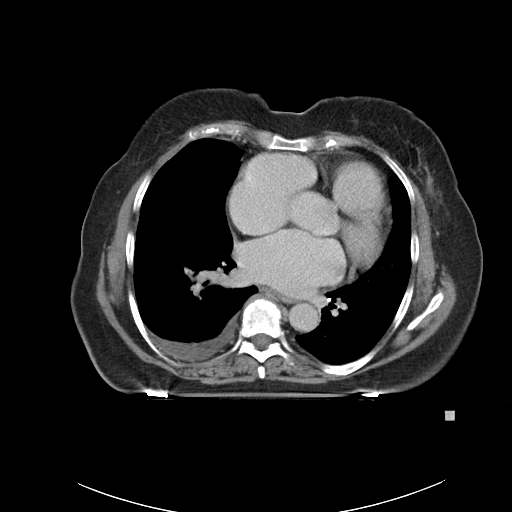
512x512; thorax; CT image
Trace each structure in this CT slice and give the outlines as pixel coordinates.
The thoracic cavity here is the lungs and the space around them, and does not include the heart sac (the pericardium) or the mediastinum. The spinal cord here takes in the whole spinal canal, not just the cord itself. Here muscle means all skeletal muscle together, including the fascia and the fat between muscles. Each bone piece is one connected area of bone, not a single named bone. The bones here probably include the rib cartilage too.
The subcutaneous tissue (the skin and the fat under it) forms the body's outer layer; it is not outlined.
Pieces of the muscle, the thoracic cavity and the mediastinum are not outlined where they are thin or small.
{"mediastinum":[[[233,246],[233,254],[253,283],[267,286],[292,298],[306,298],[324,294],[319,301],[320,321],[318,325],[311,331],[288,337],[281,325],[282,311],[275,302],[261,296],[246,301],[257,292],[258,288],[253,284],[234,285],[238,273],[237,264],[231,256]],[[342,146],[355,146],[363,148],[377,156],[391,170],[393,173],[387,180],[387,187],[388,188],[390,198],[390,204],[388,194],[388,189],[386,185],[386,176],[384,174],[384,172],[373,161],[368,159],[363,155],[356,153],[352,150],[342,149],[340,147]],[[226,137],[229,137],[230,138],[235,138],[242,142],[251,142],[254,144],[257,144],[263,148],[265,148],[267,149],[263,149],[262,148],[259,148],[256,150],[254,150],[246,154],[240,160],[243,154],[243,151],[233,142],[223,138],[225,138]],[[361,272],[363,272],[361,273],[355,279],[333,290],[330,290],[334,287],[336,287],[341,284],[343,284],[345,282],[347,282],[348,281],[350,281],[354,279],[358,275],[358,274]]],"torso":[[[200,87],[249,89],[272,109],[292,112],[333,95],[379,96],[402,104],[435,131],[474,217],[483,252],[475,315],[439,373],[404,391],[357,391],[319,399],[186,398],[151,389],[124,393],[102,378],[70,309],[84,216],[97,182],[147,116],[169,98]]],"thoracic_cavity":[[[210,137],[229,141],[242,151],[237,173],[226,194],[224,211],[233,242],[230,256],[236,264],[233,285],[253,285],[257,290],[244,302],[237,337],[226,352],[204,362],[179,363],[154,344],[141,317],[134,291],[135,234],[143,198],[158,170],[188,143]],[[393,174],[403,185],[410,203],[409,252],[411,265],[407,285],[390,325],[369,351],[345,363],[318,362],[292,347],[287,337],[294,338],[297,335],[314,330],[321,321],[320,301],[325,294],[355,280],[369,269],[380,256],[393,222],[388,187],[388,180]]],"bones":[{"outer":[[261,297],[272,301],[280,309],[280,325],[294,350],[290,354],[294,363],[292,365],[280,355],[268,357],[262,363],[265,370],[263,378],[258,375],[257,368],[260,363],[248,353],[239,354],[235,351],[217,358],[226,353],[235,343],[241,325],[244,304]],"hole":[[256,334],[265,334],[266,335],[269,336],[271,338],[271,342],[267,346],[267,347],[266,348],[265,348],[264,349],[258,349],[255,347],[255,346],[254,345],[254,344],[252,342],[251,339],[252,338],[252,337],[253,336],[254,336]]},[[257,130],[265,130],[271,134],[278,134],[288,139],[311,136],[314,137],[318,142],[321,142],[323,137],[325,136],[344,136],[357,142],[351,145],[342,145],[339,147],[322,147],[319,149],[313,148],[309,151],[268,149],[261,146],[256,141],[254,134]],[[219,123],[235,124],[243,127],[243,130],[240,136],[232,136],[231,135],[227,135],[226,134],[212,134],[209,137],[198,138],[191,141],[188,141],[186,138],[186,134],[190,130],[191,131],[198,130],[201,128],[206,128],[211,125],[214,125]],[[128,290],[131,290],[134,294],[134,297],[136,301],[136,304],[137,305],[137,308],[140,317],[153,344],[165,356],[173,360],[175,362],[181,364],[180,366],[175,366],[160,357],[149,346],[143,338],[135,324],[135,322],[131,313],[131,310],[128,301]],[[375,347],[379,347],[379,348],[374,356],[367,363],[350,373],[348,373],[344,375],[336,375],[335,374],[327,373],[323,371],[321,368],[320,363],[322,362],[323,363],[330,364],[331,365],[340,365],[341,364],[345,364],[349,362],[352,362],[362,357]],[[380,152],[384,153],[385,154],[387,154],[406,174],[407,177],[410,181],[410,183],[412,186],[412,188],[414,192],[415,200],[413,203],[411,203],[410,202],[407,191],[400,179],[380,157],[379,155],[379,153]],[[440,291],[441,291],[443,293],[443,299],[440,305],[435,310],[427,314],[413,329],[411,330],[407,330],[406,329],[406,327],[409,323],[409,322],[415,316],[421,313],[427,306],[431,298],[436,293]],[[409,283],[412,283],[413,284],[413,293],[412,294],[409,305],[399,325],[394,331],[392,331],[392,329],[390,326],[392,323],[392,321],[394,318],[394,316],[400,305],[400,303],[402,300],[402,298],[404,295],[404,293],[406,290],[406,288]],[[146,173],[150,173],[152,175],[152,178],[142,198],[142,201],[141,202],[141,204],[139,208],[139,211],[138,212],[135,212],[133,211],[133,203],[134,202],[135,195],[138,189],[138,187],[140,185]],[[129,231],[132,231],[134,233],[134,251],[133,252],[133,269],[130,269],[128,267],[128,266],[127,265],[127,261],[126,260],[126,254],[125,253],[125,244],[126,243],[126,238],[127,237],[127,233]],[[412,230],[414,230],[416,232],[416,233],[417,234],[417,236],[418,237],[418,242],[419,243],[419,254],[418,255],[418,259],[417,260],[417,262],[414,264],[412,264],[412,263],[411,262],[411,253],[410,252],[410,246],[411,245],[411,231]]],"spinal_cord":[[[256,334],[265,334],[266,335],[269,336],[271,338],[271,342],[267,346],[267,347],[266,348],[265,348],[264,349],[258,349],[255,347],[255,346],[254,345],[254,344],[252,342],[251,339],[252,338],[252,337],[253,336],[254,336]]],"muscle":[[[228,119],[246,121],[261,129],[257,129],[253,134],[257,143],[242,141],[229,136],[211,136],[226,135],[240,137],[244,127],[235,123],[219,122],[198,129],[190,129],[185,134],[185,138],[189,142],[168,159],[153,176],[150,172],[146,172],[143,176],[132,203],[132,211],[138,213],[136,230],[135,233],[132,230],[126,233],[124,244],[126,265],[133,270],[133,291],[127,290],[130,313],[140,335],[160,358],[175,367],[180,367],[182,364],[204,363],[236,352],[239,355],[248,354],[259,363],[256,368],[259,378],[253,381],[207,384],[195,379],[180,378],[162,367],[140,359],[109,323],[96,298],[95,291],[103,246],[108,245],[111,241],[120,206],[135,181],[188,129],[202,123]],{"outer":[[410,179],[421,193],[429,214],[435,260],[445,266],[456,286],[456,301],[448,317],[434,334],[413,350],[351,377],[324,383],[265,379],[263,363],[268,358],[277,355],[292,366],[295,363],[291,354],[295,350],[319,363],[321,370],[327,374],[350,374],[375,356],[380,348],[375,346],[389,327],[394,332],[400,325],[414,293],[414,284],[408,283],[411,266],[418,262],[420,254],[418,234],[411,230],[411,204],[416,197]],"hole":[[440,291],[441,291],[443,293],[443,299],[440,305],[435,310],[427,314],[413,329],[411,330],[407,330],[406,329],[406,327],[409,323],[409,322],[415,316],[421,313],[427,306],[431,298],[436,293]]},[[325,130],[338,131],[346,135],[363,136],[368,139],[370,139],[376,144],[384,148],[394,159],[397,160],[404,168],[404,171],[387,153],[380,151],[378,153],[379,156],[378,157],[377,155],[372,153],[371,151],[369,151],[363,147],[352,145],[358,142],[355,139],[353,139],[348,136],[344,135],[335,135],[334,136],[332,135],[325,135],[322,137],[321,141],[318,141],[314,136],[312,136],[313,135],[317,135],[322,131]]],"pericardium":[[[322,148],[340,148],[352,151],[373,162],[383,172],[390,205],[391,223],[382,250],[369,268],[324,293],[292,297],[250,279],[234,254],[234,237],[225,209],[226,198],[238,173],[240,161],[246,155],[259,149],[295,153],[297,151],[310,152],[313,149]]]}